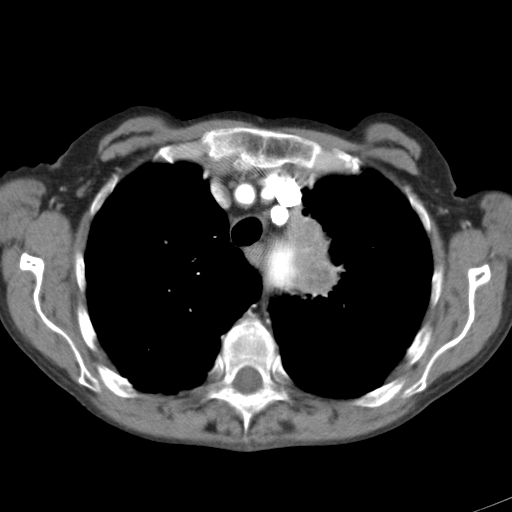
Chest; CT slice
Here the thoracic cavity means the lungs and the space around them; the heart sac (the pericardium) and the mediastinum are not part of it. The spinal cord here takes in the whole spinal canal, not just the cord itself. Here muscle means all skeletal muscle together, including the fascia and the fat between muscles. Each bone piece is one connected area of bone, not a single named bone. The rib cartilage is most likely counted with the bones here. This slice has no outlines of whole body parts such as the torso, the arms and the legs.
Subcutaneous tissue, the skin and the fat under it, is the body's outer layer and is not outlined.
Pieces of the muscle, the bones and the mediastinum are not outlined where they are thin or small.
The muscle appears in 2 outlined pieces: piece 1: 374,122 395,126 421,146 420,174 410,178 446,240 463,225 481,222 479,205 486,193 511,197 511,270 496,331 397,420 351,438 250,447 157,437 103,414 14,326 0,271 0,184 33,176 74,226 93,197 85,250 75,251 73,265 87,309 80,301 75,313 85,344 95,352 98,342 115,369 101,362 96,374 87,368 72,339 42,310 44,260 26,251 18,260 19,269 34,276 36,312 75,357 80,385 99,393 102,384 121,398 137,398 140,392 175,394 206,382 204,398 232,407 245,433 269,404 290,400 292,385 367,408 400,392 408,398 423,391 434,362 471,327 476,291 491,278 489,264 467,269 467,317 460,332 431,355 411,384 405,386 403,375 385,382 403,358 408,367 416,363 432,336 430,323 422,321 428,305 439,301 444,267 433,263 429,213 409,184 403,193 377,169 362,167 358,156 265,128 313,129 357,140; piece 2: 142,115 158,115 171,124 180,127 215,118 241,120 263,127 238,125 212,128 206,130 197,140 163,145 156,150 151,161 138,166 120,180 119,174 113,172 100,187 114,162 104,162 97,157 99,141 125,120. The spinal cord is outlined by 244,367 251,367 253,369 254,369 259,374 259,375 261,378 261,385 260,386 260,387 256,390 255,390 252,392 250,392 249,393 243,393 242,392 239,391 235,388 235,387 233,384 233,382 234,381 238,372. The bones appear in 10 outlined pieces: piece 1: 238,126 294,134 312,140 324,149 338,148 360,159 361,172 323,175 316,171 306,172 290,163 275,168 253,167 242,171 234,168 229,160 218,163 206,154 199,162 154,162 154,154 163,146 197,141 206,131; piece 2: 248,310 255,315 273,336 278,347 282,366 293,384 287,386 289,400 275,400 269,403 252,417 245,432 240,414 223,400 217,398 206,399 207,389 205,386 207,373 213,366 221,348 221,336 239,319 247,316, around a hole outlined by 244,367 251,367 253,369 254,369 259,374 259,375 261,378 261,385 260,386 260,387 256,390 255,390 252,392 250,392 249,393 243,393 242,392 239,391 235,388 235,387 233,384 233,382 234,381 238,372; piece 3: 485,263 489,266 490,278 475,291 474,319 466,334 433,362 426,387 408,397 402,397 400,391 387,402 374,407 351,404 353,398 395,378 403,376 407,387 421,376 432,355 463,329 468,317 467,272 469,268; piece 4: 23,252 43,260 39,291 41,310 71,339 86,368 94,375 97,374 97,363 115,370 139,391 140,396 121,397 102,383 100,391 96,392 78,382 80,368 71,347 60,334 44,323 35,308 35,276 19,267; piece 5: 427,322 429,323 431,327 431,336 430,337 429,342 426,347 426,349 423,353 423,354 416,362 415,362 412,365 408,366 407,365 407,360 404,357 405,352 407,348 411,344 414,337 416,335 419,329 425,323; piece 6: 80,302 86,308 89,315 89,318 91,321 91,323 97,336 97,342 96,343 97,345 97,350 95,351 92,350 86,344 81,335 81,333 79,329 78,321 77,320 77,314 76,313 76,310 77,309 77,306; piece 7: 405,184 407,184 411,187 412,190 417,195 417,196 422,202 428,213 428,215 430,219 430,222 431,223 430,232 428,234 427,234 426,231 424,229 418,215 411,207 406,196 404,194 404,192 403,191 403,187; piece 8: 113,173 117,173 118,174 119,176 119,181 116,184 115,187 111,193 110,193 109,195 107,196 103,202 101,207 97,211 97,212 92,218 90,216 90,206 91,205 91,203 97,192 107,181 107,180; piece 9: 436,265 442,265 442,266 443,267 443,279 442,280 442,287 441,288 440,295 438,298 438,301 436,303 436,304 432,307 429,304 429,300 430,299 430,292 431,291 431,280 432,279 432,275 433,274 434,267; piece 10: 77,250 79,250 81,252 82,252 83,254 83,260 84,261 84,265 85,266 85,279 86,280 86,287 85,288 85,291 84,292 82,292 80,290 78,286 77,281 76,280 75,267 74,265 75,264 75,253. The mediastinum is outlined by 200,161 229,161 242,172 290,164 306,173 325,176 303,191 305,215 294,242 291,275 281,286 280,300 271,299 268,305 272,334 249,309 261,295 261,277 242,251 229,241 227,215 212,195 209,182 196,163. The thoracic cavity appears in 2 outlined pieces: piece 1: 180,161 193,162 201,168 211,195 226,215 228,241 241,251 259,275 261,290 257,300 220,336 220,348 206,373 205,382 175,393 144,392 116,370 98,341 88,311 84,253 93,218 122,179 148,162 174,164; piece 2: 362,168 381,173 405,196 417,215 431,249 433,270 429,299 420,327 381,385 352,398 326,397 294,385 273,335 269,305 271,300 281,300 282,286 292,275 295,242 306,215 302,202 304,191 327,175 359,175.